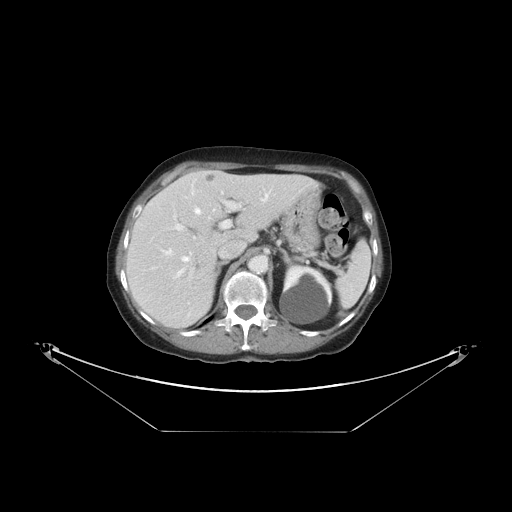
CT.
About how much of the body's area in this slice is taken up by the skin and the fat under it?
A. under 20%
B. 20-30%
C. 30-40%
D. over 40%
A. under 20%
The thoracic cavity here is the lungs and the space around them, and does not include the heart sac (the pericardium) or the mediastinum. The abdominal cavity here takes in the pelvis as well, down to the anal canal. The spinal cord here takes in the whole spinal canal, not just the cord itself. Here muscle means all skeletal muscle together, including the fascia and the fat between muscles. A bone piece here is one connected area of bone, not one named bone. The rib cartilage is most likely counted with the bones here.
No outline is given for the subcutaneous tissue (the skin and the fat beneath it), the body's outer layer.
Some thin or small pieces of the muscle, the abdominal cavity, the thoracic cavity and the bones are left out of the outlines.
The bones appear in 10 outlined pieces: piece 1: 239 270; 247 270; 263 279; 268 291; 263 310; 276 320; 276 324; 265 331; 255 324; 249 327; 247 342; 251 348; 248 350; 240 348; 243 343; 240 325; 233 325; 231 332; 227 332; 224 326; 215 325; 217 319; 226 315; 224 285 with a hole at 241 305; 250 305; 251 306; 253 306; 255 308; 255 309; 256 310; 256 312; 255 313; 255 314; 254 314; 252 316; 251 316; 249 318; 248 318; 247 319; 244 319; 243 318; 240 317; 235 312; 235 310; 237 307; 238 307; piece 2: 181 165; 184 165; 184 167; 179 172; 178 172; 171 179; 171 180; 168 183; 167 183; 166 184; 162 184; 160 182; 160 180; 161 180; 168 173; 169 173; 170 172; 171 172; 172 171; 173 171; 177 167; 178 167; 179 166; 180 166; piece 3: 125 267; 125 273; 126 274; 126 281; 127 282; 127 285; 128 286; 128 288; 129 289; 129 292; 128 292; 127 291; 126 291; 124 289; 124 288; 122 286; 122 285; 121 284; 121 281; 120 280; 120 271; 122 268; 124 268; piece 4: 342 173; 343 173; 345 175; 346 175; 347 176; 348 176; 349 177; 350 177; 353 180; 353 181; 356 184; 356 185; 358 187; 358 189; 359 190; 359 191; 358 192; 355 192; 348 185; 348 184; 346 182; 346 180; 342 175; piece 5: 192 329; 199 329; 201 331; 201 333; 200 333; 199 334; 196 334; 195 335; 191 335; 190 336; 184 336; 183 335; 181 335; 179 333; 179 331; 180 330; 191 330; piece 6: 373 273; 375 275; 375 277; 376 278; 376 284; 375 285; 375 287; 374 288; 374 289; 373 290; 373 291; 370 293; 368 293; 367 292; 367 288; 368 287; 368 284; 370 281; 370 278; 371 277; 371 275; piece 7: 301 330; 319 330; 319 331; 320 332; 318 334; 317 334; 316 335; 314 335; 313 336; 307 336; 306 335; 304 335; 303 334; 301 334; 299 332; 299 331; 300 331; piece 8: 138 308; 139 308; 140 309; 141 309; 144 312; 145 312; 145 313; 146 314; 147 314; 153 320; 154 320; 155 321; 155 322; 156 323; 155 324; 152 324; 151 323; 150 323; 148 321; 147 321; 139 313; 139 312; 138 311; piece 9: 352 311; 354 311; 354 312; 355 313; 354 314; 354 315; 347 322; 346 322; 344 324; 343 324; 342 325; 341 325; 340 326; 338 326; 337 325; 338 324; 338 323; 343 318; 344 318; 350 312; 351 312; piece 10: 138 204; 140 204; 141 205; 142 205; 143 206; 143 207; 142 208; 142 209; 141 210; 141 211; 140 212; 139 215; 138 215; 137 216; 137 218; 136 218; 135 219; 133 217; 133 211; 134 210; 135 207. The abdominal cavity is outlined by 200 168; 269 168; 325 174; 343 181; 361 207; 373 256; 366 291; 357 305; 329 327; 301 329; 278 317; 262 277; 239 269; 224 283; 217 312; 195 328; 164 327; 138 307; 130 293; 125 266; 134 222; 146 202; 163 186; 179 175. The torso is outlined by 213 145; 321 152; 354 165; 370 183; 387 228; 392 271; 382 300; 353 343; 344 350; 297 362; 236 361; 226 364; 208 364; 199 360; 182 359; 152 349; 133 334; 120 316; 106 286; 106 251; 118 215; 131 194; 160 162; 190 148. The muscle appears in 2 outlined pieces: piece 1: 187 160; 328 165; 351 174; 364 188; 376 215; 383 255; 382 274; 376 287; 377 278; 376 275; 372 273; 372 266; 374 257; 378 254; 378 245; 375 238; 371 239; 369 227; 372 225; 372 214; 367 208; 362 209; 350 189; 355 193; 360 191; 350 176; 343 172; 341 173; 345 182; 325 173; 269 167; 240 167; 231 169; 200 167; 188 170; 174 177; 185 167; 184 164; 181 164; 159 180; 159 182; 164 185; 143 205; 138 203; 134 207; 132 211; 133 224; 130 229; 126 230; 122 242; 125 250; 125 258; 124 267; 119 271; 120 284; 123 289; 130 294; 138 313; 147 322; 152 325; 159 324; 164 328; 178 330; 178 333; 184 337; 201 334; 202 331; 197 328; 217 315; 222 300; 226 307; 225 315; 217 318; 214 321; 214 325; 224 327; 227 333; 232 332; 233 326; 240 326; 242 343; 239 348; 243 351; 232 354; 209 354; 190 351; 170 343; 145 327; 134 317; 121 292; 120 283; 115 274; 117 245; 126 217; 134 201; 160 175; piece 2: 375 288; 371 300; 354 324; 316 348; 297 353; 276 354; 261 354; 248 351; 252 348; 248 342; 248 333; 252 325; 265 332; 269 327; 277 324; 277 320; 271 318; 270 314; 265 313; 264 310; 269 296; 271 308; 280 320; 300 329; 298 332; 301 335; 313 337; 318 335; 321 332; 320 330; 337 323; 338 327; 347 323; 355 315; 356 313; 353 310; 364 294; 366 292; 368 294; 372 293. The spinal cord is outlined by 241 305; 250 305; 251 306; 253 306; 255 308; 255 309; 256 310; 256 312; 255 313; 255 314; 254 314; 252 316; 251 316; 249 318; 248 318; 247 319; 244 319; 243 318; 240 317; 235 312; 235 310; 237 307; 238 307. The thoracic cavity is outlined by 215 313; 217 313; 216 314; 216 315; 213 318; 212 318; 207 322; 206 322; 205 323; 204 323; 202 325; 200 325; 198 327; 197 327; 199 325; 200 325; 201 324; 202 324; 203 323; 203 322; 208 317; 209 317; 211 315; 213 315.